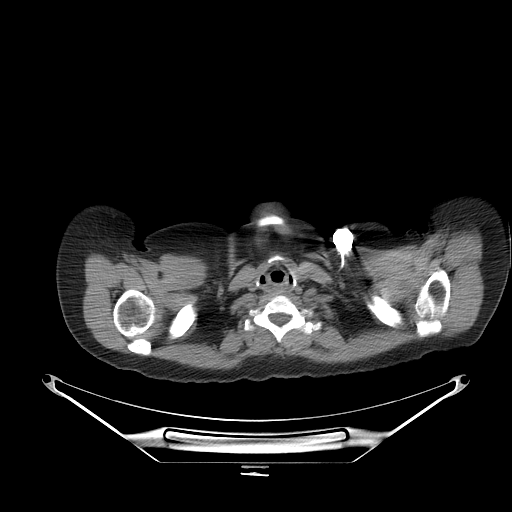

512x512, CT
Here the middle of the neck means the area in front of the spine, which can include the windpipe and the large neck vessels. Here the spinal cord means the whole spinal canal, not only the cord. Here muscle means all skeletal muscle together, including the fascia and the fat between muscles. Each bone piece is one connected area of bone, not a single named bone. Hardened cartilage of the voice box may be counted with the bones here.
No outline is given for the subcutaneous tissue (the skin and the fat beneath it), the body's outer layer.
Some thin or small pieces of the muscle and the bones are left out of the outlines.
The head and neck is outlined by 269 200; 279 200; 286 204; 294 212; 295 215; 297 217; 296 219; 289 226; 281 230; 275 231; 274 232; 263 232; 262 231; 255 230; 251 228; 246 223; 246 217; 249 210; 254 204; 258 202; 261 202; 262 201; 268 201. The bones appear in 6 outlined pieces: piece 1: 127 289; 136 289; 142 292; 151 298; 155 307; 155 319; 154 322; 147 330; 144 335; 151 343; 151 353; 148 356; 136 354; 130 351; 127 347; 127 344; 131 339; 128 338; 118 331; 113 321; 113 308; 116 302; 116 300; 118 297; piece 2: 439 267; 446 271; 450 282; 450 297; 449 298; 448 309; 445 315; 440 318; 442 325; 442 328; 440 332; 424 338; 419 338; 416 333; 415 322; 418 317; 414 309; 414 303; 421 286; 424 284; 426 280; 430 276; 431 273; 435 271; piece 3: 276 295; 288 297; 299 309; 312 309; 313 313; 307 319; 321 321; 321 328; 313 330; 309 334; 297 328; 291 329; 282 337; 280 342; 264 327; 256 326; 253 330; 245 330; 243 327; 244 320; 252 318; 248 311; 252 308; 262 308; inner edge: 276 313; 283 313; 284 314; 286 314; 287 315; 289 315; 290 316; 290 317; 289 318; 289 319; 285 323; 284 323; 281 325; 278 325; 277 324; 274 323; 272 321; 271 321; 271 320; 269 318; 269 315; 270 315; 271 314; 275 314; piece 4: 372 295; 377 295; 382 298; 385 298; 393 307; 399 310; 403 317; 403 324; 399 327; 395 328; 394 327; 389 326; 383 323; 380 320; 379 320; 376 317; 376 316; 367 307; 366 303; 365 302; 365 299; 366 298; 367 299; 370 299; piece 5: 188 303; 193 303; 196 307; 196 309; 197 310; 197 315; 196 316; 194 321; 192 323; 192 324; 188 328; 188 329; 181 336; 180 336; 175 339; 169 339; 168 338; 168 327; 171 322; 171 320; 178 312; 178 311; 183 306; 184 306; piece 6: 270 214; 274 214; 275 215; 280 216; 282 218; 283 218; 283 219; 284 220; 284 223; 283 224; 267 224; 266 225; 263 225; 262 226; 258 226; 257 225; 257 220; 258 219; 259 219; 261 217; 263 217; 266 215; 269 215. The left arm is outlined by 460 192; 481 194; 501 207; 506 216; 510 236; 510 270; 507 282; 496 310; 482 335; 476 340; 456 338; 429 323; 396 312; 387 303; 382 291; 383 274; 390 262; 412 242; 419 232; 424 232; 427 229; 426 211; 428 208; 437 200. The muscle is outlined by 266 206; 281 209; 292 222; 296 247; 388 249; 419 244; 452 220; 475 224; 483 236; 484 295; 474 324; 451 338; 432 336; 347 363; 267 355; 227 370; 200 369; 149 356; 152 343; 145 335; 156 307; 142 291; 127 288; 115 300; 112 321; 135 354; 104 347; 82 313; 84 259; 90 251; 115 248; 151 260; 164 253; 193 255; 207 262; 210 280; 225 279; 259 249; 252 245; 255 217; inner edges: 276 295; 288 297; 299 309; 312 309; 313 313; 307 319; 321 321; 321 328; 313 330; 309 334; 297 328; 291 329; 282 337; 280 342; 264 327; 256 326; 253 330; 245 330; 243 327; 244 320; 252 318; 248 311; 252 308; 262 308, then 439 267; 446 271; 450 282; 450 297; 449 298; 448 309; 445 315; 440 318; 442 325; 442 328; 440 332; 424 338; 419 338; 416 333; 415 322; 418 317; 414 309; 414 303; 421 286; 424 284; 426 280; 430 276; 431 273; 435 271, then 275 255; 282 256; 284 258; 283 261; 289 267; 295 270; 295 272; 300 277; 306 277; 317 289; 317 294; 311 298; 301 298; 289 291; 270 292; 254 303; 250 303; 242 298; 243 293; 247 289; 247 285; 266 268; 268 265; 267 260, then 372 295; 377 295; 382 298; 385 298; 393 307; 399 310; 403 317; 403 324; 399 327; 395 328; 394 327; 389 326; 383 323; 380 320; 379 320; 376 317; 376 316; 367 307; 366 303; 365 302; 365 299; 366 298; 367 299; 370 299, then 188 303; 193 303; 196 307; 196 309; 197 310; 197 315; 196 316; 194 321; 192 323; 192 324; 188 328; 188 329; 181 336; 180 336; 175 339; 169 339; 168 338; 168 327; 171 322; 171 320; 178 312; 178 311; 183 306; 184 306, then 270 214; 274 214; 275 215; 280 216; 282 218; 283 218; 283 219; 284 220; 284 223; 283 224; 267 224; 266 225; 263 225; 262 226; 258 226; 257 225; 257 220; 258 219; 259 219; 261 217; 263 217; 266 215; 269 215. The torso is outlined by 297 218; 324 236; 357 220; 417 230; 385 268; 382 295; 396 313; 456 339; 478 340; 474 344; 369 372; 226 383; 154 379; 98 359; 159 336; 174 318; 173 289; 142 250; 146 235; 190 220; 230 231; 245 223; 274 233. The right arm is outlined by 94 203; 105 203; 115 206; 125 211; 134 220; 136 224; 134 245; 153 262; 163 275; 172 289; 175 301; 173 318; 159 335; 131 344; 121 350; 98 358; 82 348; 69 332; 61 312; 55 280; 58 246; 67 223; 81 208. The spinal cord is outlined by 276 313; 283 313; 284 314; 286 314; 287 315; 289 315; 290 316; 290 317; 289 318; 289 319; 285 323; 284 323; 281 325; 278 325; 277 324; 274 323; 272 321; 271 321; 271 320; 269 318; 269 315; 270 315; 271 314; 275 314. The middle of the neck is outlined by 276 260; 283 261; 292 268; 288 270; 292 276; 293 286; 297 283; 295 272; 300 277; 306 277; 317 289; 317 294; 311 298; 301 298; 289 291; 270 292; 254 303; 250 303; 242 298; 243 293; 247 289; 247 285; 255 279; 268 264.